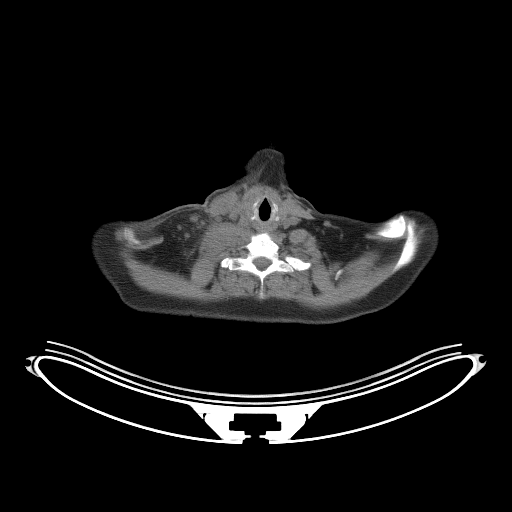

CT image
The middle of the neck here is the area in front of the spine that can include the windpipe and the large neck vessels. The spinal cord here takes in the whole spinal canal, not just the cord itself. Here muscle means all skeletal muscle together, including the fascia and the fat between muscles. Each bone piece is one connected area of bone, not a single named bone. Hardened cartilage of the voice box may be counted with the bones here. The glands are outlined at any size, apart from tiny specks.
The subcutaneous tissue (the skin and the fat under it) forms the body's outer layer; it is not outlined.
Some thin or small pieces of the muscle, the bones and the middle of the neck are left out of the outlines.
{"muscle":[{"outer":[[250,180],[266,181],[284,190],[321,220],[368,228],[380,224],[374,232],[377,236],[404,238],[391,271],[395,273],[352,304],[323,311],[277,299],[234,298],[199,303],[142,289],[102,246],[102,235],[112,226],[154,223],[185,210],[201,209],[217,195]],"holes":[[[263,190],[273,197],[285,213],[284,217],[291,221],[287,227],[269,233],[279,251],[311,265],[291,273],[274,271],[268,274],[261,299],[259,279],[254,274],[221,267],[220,262],[227,256],[236,256],[250,236],[257,232],[244,225],[237,214],[245,202]],[[125,227],[129,227],[130,228],[131,228],[134,231],[136,237],[138,239],[139,239],[139,240],[140,241],[140,242],[139,243],[131,243],[130,242],[127,241],[124,238],[124,236],[123,235],[123,232],[124,231],[124,228]],[[339,269],[340,269],[341,269],[342,269],[342,270],[342,271],[342,272],[341,273],[340,274],[339,275],[339,276],[338,277],[337,278],[336,279],[335,278],[335,277],[335,276],[335,275],[336,274],[336,273],[337,272],[337,271],[338,270]]]},[[403,214],[405,215],[415,215],[416,216],[419,216],[425,222],[425,223],[431,230],[431,239],[430,241],[424,246],[419,256],[412,263],[411,263],[414,260],[419,248],[419,245],[420,244],[420,237],[417,231],[417,223],[416,221],[413,218],[407,218]]],"spinal_cord":[[[259,257],[263,257],[264,258],[266,258],[267,259],[268,259],[270,261],[270,263],[269,264],[269,265],[268,266],[267,266],[264,269],[259,269],[254,264],[254,263],[253,262],[253,261],[254,260],[254,259],[255,259],[256,258],[258,258]]],"bones":[{"outer":[[263,232],[270,235],[279,246],[281,253],[300,258],[311,265],[308,269],[295,270],[291,273],[274,271],[268,274],[264,279],[264,297],[261,299],[259,279],[254,274],[244,270],[221,267],[220,262],[227,256],[236,256],[242,246],[250,240],[252,234]],"hole":[[259,257],[263,257],[264,258],[266,258],[267,259],[268,259],[270,261],[270,263],[269,264],[269,265],[268,266],[267,266],[264,269],[259,269],[254,264],[254,263],[253,262],[253,261],[254,260],[254,259],[255,259],[256,258],[258,258]]},[[399,214],[402,214],[407,219],[413,219],[415,221],[416,223],[416,231],[419,237],[419,244],[413,260],[410,263],[402,267],[397,271],[392,272],[393,268],[400,255],[405,238],[404,237],[400,238],[389,238],[377,235],[375,232],[376,229],[382,222]],[[125,227],[129,227],[130,228],[131,228],[134,231],[136,237],[138,239],[139,239],[139,240],[140,241],[140,242],[139,243],[131,243],[130,242],[127,241],[124,238],[124,236],[123,235],[123,232],[124,231],[124,228]]],"head_and_neck":[[[264,148],[274,149],[285,154],[287,157],[287,175],[291,187],[320,211],[326,228],[326,250],[316,281],[293,312],[275,321],[229,321],[223,318],[200,295],[189,272],[195,213],[198,203],[201,203],[210,192],[243,175],[247,160],[252,153],[255,150]]],"torso":[[[186,203],[197,203],[189,275],[199,295],[223,319],[227,320],[228,321],[229,322],[230,322],[231,322],[232,322],[233,322],[275,322],[296,310],[317,281],[326,254],[321,211],[374,221],[421,209],[435,218],[440,241],[431,262],[397,301],[344,322],[257,324],[256,323],[240,323],[194,319],[189,317],[151,315],[122,303],[91,257],[90,235],[103,221],[145,218]]],"thyroid_glands":[[[245,202],[249,202],[249,209],[248,210],[248,213],[247,214],[245,214],[244,213],[244,212],[243,211],[243,210],[242,209],[242,207],[243,206],[243,205],[244,204],[244,203]],[[280,210],[281,210],[282,210],[283,210],[283,211],[284,212],[285,213],[285,214],[285,215],[284,216],[284,217],[283,218],[282,218],[281,218],[280,218],[280,217],[280,216],[281,215],[280,214],[280,213],[280,212],[280,211]]],"middle_of_the_neck":[[[263,190],[268,192],[276,202],[271,202],[273,212],[276,213],[279,208],[280,215],[276,215],[274,217],[275,220],[288,218],[291,221],[287,227],[269,233],[266,231],[257,232],[238,219],[238,212],[242,210],[247,215],[250,209],[250,200],[254,194]]]}